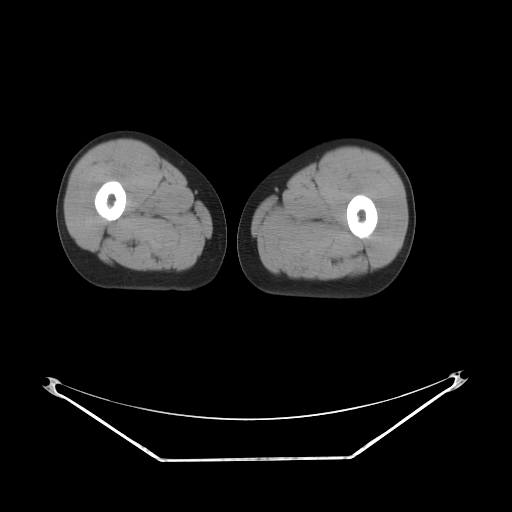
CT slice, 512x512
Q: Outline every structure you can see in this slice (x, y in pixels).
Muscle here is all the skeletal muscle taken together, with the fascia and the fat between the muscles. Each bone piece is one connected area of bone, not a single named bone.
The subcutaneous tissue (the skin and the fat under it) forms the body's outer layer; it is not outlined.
A: Outlined structures:
left leg: [[342,136],[366,138],[383,146],[396,157],[409,177],[415,201],[416,224],[412,247],[403,268],[396,279],[386,289],[365,299],[339,300],[297,298],[273,296],[260,292],[245,277],[240,267],[237,255],[237,227],[245,202],[256,185],[276,167],[319,142]]
right leg: [[120,129],[137,130],[161,139],[195,165],[209,180],[218,194],[225,213],[227,225],[227,247],[222,265],[217,275],[207,285],[189,292],[101,289],[82,278],[75,271],[67,259],[60,243],[55,219],[56,197],[63,172],[71,157],[85,143],[100,134]]
bones 1: [[357,194],[363,194],[369,197],[373,201],[377,211],[377,223],[376,224],[376,226],[373,231],[367,237],[365,237],[364,238],[360,238],[352,233],[352,232],[349,229],[349,227],[347,223],[347,220],[346,219],[346,208],[347,207],[347,204],[351,198]]
bones 2: [[109,180],[117,180],[119,182],[120,182],[126,194],[126,203],[125,204],[125,208],[121,215],[118,218],[114,220],[107,220],[105,218],[102,217],[97,212],[94,205],[94,198],[95,197],[95,194],[96,192],[98,190],[100,186],[103,183]]
muscle 1: [[344,145],[365,147],[381,154],[389,161],[400,176],[405,188],[408,206],[408,225],[400,251],[386,267],[373,274],[368,274],[359,278],[327,281],[293,280],[273,275],[263,266],[254,252],[251,221],[255,209],[263,199],[292,173],[313,162],[328,150]] with a hole at [[357,194],[363,194],[369,197],[373,201],[377,211],[377,223],[376,224],[376,226],[373,231],[367,237],[365,237],[364,238],[360,238],[352,233],[352,232],[349,229],[349,227],[347,223],[347,220],[346,219],[346,208],[347,207],[347,204],[351,198]]
muscle 2: [[122,137],[138,139],[151,146],[160,156],[174,165],[198,190],[207,202],[212,220],[212,235],[202,258],[187,272],[176,275],[145,275],[116,271],[101,262],[92,253],[81,249],[68,233],[64,219],[63,200],[68,178],[74,165],[86,151],[96,144]] with a hole at [[109,180],[117,180],[119,182],[120,182],[126,194],[126,203],[125,204],[125,208],[121,215],[118,218],[114,220],[107,220],[105,218],[102,217],[97,212],[94,205],[94,198],[95,197],[95,194],[96,192],[98,190],[100,186],[103,183]]